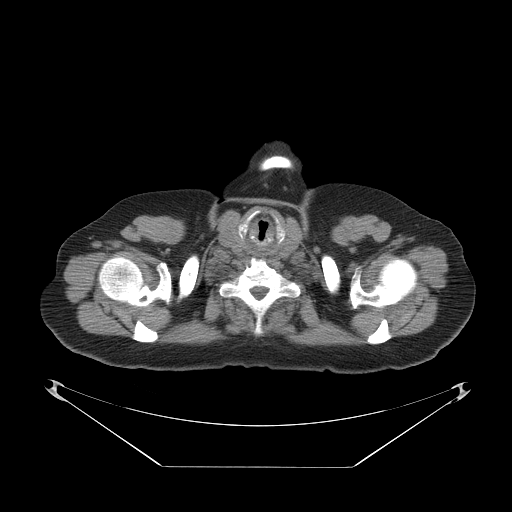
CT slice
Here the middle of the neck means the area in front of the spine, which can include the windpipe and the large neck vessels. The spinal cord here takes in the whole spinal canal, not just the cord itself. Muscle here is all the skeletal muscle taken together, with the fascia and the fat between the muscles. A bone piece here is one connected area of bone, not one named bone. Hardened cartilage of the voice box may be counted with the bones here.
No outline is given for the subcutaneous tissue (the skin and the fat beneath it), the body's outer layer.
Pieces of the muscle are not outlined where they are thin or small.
The torso is outlined by 326,182 375,187 408,204 384,234 377,272 400,312 448,344 433,358 404,369 366,374 243,366 174,372 122,368 77,353 132,313 145,284 139,248 104,212 116,202 147,191 205,188 229,199 297,205 315,185. The head and neck is outlined by 275,138 279,138 287,141 303,159 304,163 303,175 305,181 309,186 314,186 312,191 307,197 300,203 289,204 288,203 276,203 262,199 229,198 224,196 221,193 223,187 244,168 248,158 254,150 263,142. The muscle appears in 2 outlined pieces: piece 1: 265,204 288,208 300,218 305,236 323,244 341,216 363,214 374,214 404,233 438,244 447,255 450,278 431,326 392,338 388,321 382,318 367,336 367,344 304,346 252,336 207,345 160,344 151,343 158,339 158,332 140,319 135,321 131,338 90,334 77,324 63,292 63,271 69,258 85,246 109,238 141,214 183,219 187,237 199,241 224,210; inner edges: 255,210 270,212 286,234 297,237 299,249 293,256 266,261 302,287 297,297 282,296 271,304 259,336 253,333 256,319 251,309 240,298 223,297 218,291 218,285 239,274 252,256 223,247 219,236, then 116,256 125,257 133,261 141,270 143,283 151,290 159,282 156,266 158,263 164,262 167,265 171,277 172,293 170,302 167,304 161,299 156,299 145,306 136,306 108,297 99,285 98,272 101,265 107,259, then 396,257 406,259 414,266 417,272 417,282 413,291 394,304 386,305 383,307 361,304 353,309 349,298 349,290 350,281 355,268 359,265 362,266 360,284 365,291 369,291 378,282 378,275 383,265 389,260, then 194,253 197,254 199,258 199,266 197,271 197,276 196,277 196,280 195,281 194,287 188,296 180,300 178,300 177,299 177,295 178,294 178,280 179,279 179,275 180,274 180,272 187,258 190,255, then 323,254 328,254 330,255 334,259 335,263 337,266 337,269 339,272 341,281 340,282 339,289 336,293 331,293 327,288 327,286 325,282 325,279 324,278 324,275 323,274 322,265 321,264 321,257; piece 2: 273,148 281,148 283,149 287,154 290,155 296,161 297,163 297,170 293,176 293,182 296,192 293,194 285,195 284,196 273,196 272,195 262,195 261,194 246,194 244,193 242,191 253,177 254,163 260,156, around a hole outlined by 273,155 282,155 283,156 285,156 289,158 292,162 292,166 289,168 280,168 279,167 273,167 272,168 269,168 265,170 262,170 260,169 259,167 260,166 260,164 261,162 264,159 270,156 272,156. The spinal cord is outlined by 255,286 261,286 262,287 265,287 266,288 267,288 268,289 268,290 267,291 267,292 261,298 260,298 259,299 258,299 257,298 256,298 251,293 251,292 250,291 250,289 251,288 252,288 253,287 254,287. The bones appear in 10 outlined pieces: piece 1: 252,256 265,259 271,267 285,277 300,284 302,287 297,297 282,296 271,304 262,318 261,328 263,334 259,336 253,333 256,319 251,309 240,298 235,296 223,297 218,291 218,285 239,274 249,263 with a hole at 255,286 261,286 262,287 265,287 266,288 267,288 268,289 268,290 267,291 267,292 261,298 260,298 259,299 258,299 257,298 256,298 251,293 251,292 250,291 250,289 251,288 252,288 253,287 254,287; piece 2: 116,256 125,257 133,261 141,270 143,283 151,290 159,282 156,266 158,263 164,262 167,265 171,277 172,293 170,302 167,304 161,299 156,299 145,306 136,306 108,297 99,285 98,272 101,265 107,259; piece 3: 396,257 406,259 414,266 417,272 417,282 413,291 394,304 386,305 383,307 361,304 353,309 349,298 349,290 350,281 355,268 359,265 362,266 360,284 365,291 369,291 378,282 378,275 383,265 389,260; piece 4: 194,253 197,254 199,258 199,266 197,271 197,276 196,277 196,280 195,281 194,287 188,296 180,300 178,300 177,299 177,295 178,294 178,280 179,279 179,275 180,274 180,272 187,258 190,255; piece 5: 323,254 328,254 330,255 334,259 335,263 337,266 337,269 339,272 341,281 340,282 339,289 336,293 331,293 327,288 327,286 325,282 325,279 324,278 324,275 323,274 322,265 321,264 321,257; piece 6: 137,320 140,320 149,328 150,328 151,329 153,329 157,332 157,335 158,336 158,337 157,338 157,339 154,342 140,342 139,341 137,341 132,338 132,335 133,334 134,327 135,326 135,324 136,323 136,321; piece 7: 382,319 385,319 387,321 387,323 388,324 388,329 389,330 389,332 392,336 391,338 388,339 386,341 382,343 379,343 378,344 369,344 367,343 367,338 368,336 377,328 377,327 379,325; piece 8: 273,155 282,155 283,156 285,156 289,158 292,162 292,166 289,168 280,168 279,167 273,167 272,168 269,168 265,170 262,170 260,169 259,167 260,166 260,164 261,162 264,159 270,156 272,156; piece 9: 255,210 260,210 260,211 257,214 256,214 249,221 249,222 247,225 247,229 246,230 246,233 245,234 243,239 241,239 238,234 238,226 240,224 241,224 243,222 244,222 247,218 247,217 252,212 253,212; piece 10: 273,216 275,216 278,219 280,225 283,228 283,229 285,232 285,236 284,237 283,240 280,243 278,243 278,239 277,238 277,231 276,230 276,224 275,223 275,221 274,220 274,218 273,217. The right arm is outlined by 103,213 110,215 130,235 134,243 138,248 144,266 144,284 138,300 131,313 124,320 106,334 93,341 83,349 75,353 66,348 44,324 39,310 39,298 42,288 54,276 56,255 60,245 74,231 97,218. The left arm is outlined by 409,205 421,213 441,221 452,230 463,247 463,253 465,261 475,279 476,299 474,309 470,318 464,327 449,344 428,333 405,316 389,297 385,291 380,279 378,272 378,254 381,244 384,239 386,232 391,225. The middle of the neck is outlined by 261,210 266,210 273,215 278,244 284,240 286,234 292,234 297,237 299,249 293,256 266,259 235,249 227,249 221,245 219,236 223,231 230,227 237,227 237,234 239,238 243,240 247,233 250,221.